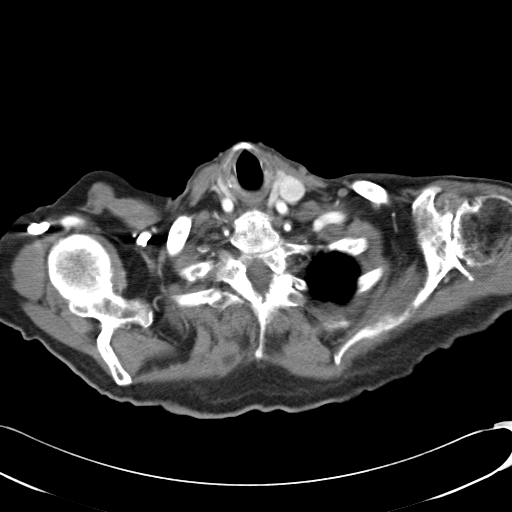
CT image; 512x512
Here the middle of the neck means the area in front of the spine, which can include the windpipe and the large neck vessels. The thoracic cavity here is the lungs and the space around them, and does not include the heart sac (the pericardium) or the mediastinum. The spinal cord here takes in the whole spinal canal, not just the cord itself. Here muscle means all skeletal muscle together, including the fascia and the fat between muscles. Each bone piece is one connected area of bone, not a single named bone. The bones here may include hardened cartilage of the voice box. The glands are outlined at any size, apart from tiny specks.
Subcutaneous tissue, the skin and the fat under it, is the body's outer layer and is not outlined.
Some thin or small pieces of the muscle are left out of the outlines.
{"middle_of_the_neck":[[[243,148],[258,152],[276,171],[266,204],[268,209],[276,204],[281,182],[286,176],[291,175],[305,185],[305,195],[287,214],[266,212],[255,207],[229,215],[222,212],[218,200],[212,194],[212,186],[218,181],[225,197],[232,198],[222,176],[234,153]]],"muscle":[{"outer":[[255,145],[322,180],[363,178],[348,186],[377,205],[389,203],[379,184],[417,188],[453,180],[511,189],[511,198],[471,195],[443,212],[434,205],[439,185],[420,191],[411,215],[426,268],[423,285],[401,313],[387,312],[358,328],[333,353],[336,366],[358,342],[406,321],[454,268],[472,281],[468,268],[495,261],[511,245],[511,294],[421,321],[333,380],[253,362],[217,380],[132,384],[111,339],[128,323],[148,328],[154,311],[116,293],[105,247],[88,233],[73,232],[49,248],[48,279],[71,313],[99,322],[96,347],[111,377],[38,327],[10,283],[12,259],[34,223],[82,206],[96,181],[171,210],[186,201],[197,173],[228,150],[211,194],[224,215],[239,214],[228,238],[231,249],[178,274],[194,282],[214,270],[214,280],[233,291],[211,286],[171,297],[180,307],[222,310],[247,301],[258,325],[257,360],[280,309],[303,308],[306,294],[328,307],[344,306],[383,276],[384,265],[366,271],[356,257],[369,246],[364,236],[315,245],[284,238],[267,212],[287,215],[308,188],[276,170]],"holes":[[[182,214],[187,214],[191,216],[191,226],[189,230],[189,233],[188,234],[188,236],[183,246],[183,248],[177,254],[171,256],[168,254],[167,252],[167,249],[166,248],[166,242],[167,241],[168,232],[174,220],[179,215],[181,215]],[[342,319],[346,319],[347,320],[349,320],[350,321],[350,324],[347,327],[346,327],[345,328],[338,328],[337,329],[327,329],[326,328],[325,328],[322,325],[322,322],[323,322],[324,321],[327,321],[328,320],[341,320]]]}],"bones":[{"outer":[[253,208],[271,216],[288,242],[364,237],[368,243],[355,257],[312,249],[287,258],[308,286],[307,300],[273,316],[261,359],[247,300],[222,309],[180,306],[172,297],[211,287],[234,291],[215,280],[214,269],[194,281],[179,270],[231,250],[234,219]],"hole":[[254,259],[257,259],[258,260],[260,260],[269,269],[269,270],[271,272],[270,274],[270,279],[268,282],[268,284],[267,285],[267,288],[263,292],[260,292],[258,291],[254,287],[252,282],[250,280],[250,279],[247,275],[247,269],[248,268],[248,265]]},[[432,185],[441,188],[433,200],[441,213],[453,211],[471,196],[499,194],[511,199],[510,246],[495,260],[468,267],[472,280],[454,267],[449,270],[406,320],[358,341],[336,365],[334,353],[358,329],[387,313],[401,314],[424,285],[427,268],[412,203]],[[73,233],[88,234],[104,247],[110,257],[112,289],[116,294],[136,299],[153,311],[153,321],[148,327],[128,322],[116,328],[110,339],[122,367],[131,377],[129,385],[114,381],[98,350],[100,322],[71,312],[68,301],[49,279],[50,248],[60,238]],[[182,214],[187,214],[191,216],[191,226],[189,230],[189,233],[188,234],[188,236],[183,246],[183,248],[177,254],[171,256],[168,254],[167,252],[167,249],[166,248],[166,242],[167,241],[168,232],[174,220],[179,215],[181,215]],[[355,179],[365,179],[366,180],[369,180],[372,182],[374,182],[382,186],[386,190],[388,194],[388,203],[381,203],[380,204],[377,204],[374,202],[370,201],[368,199],[365,198],[363,196],[360,195],[358,193],[354,191],[349,186],[349,184],[353,180]],[[379,266],[384,266],[385,267],[385,270],[382,276],[379,279],[379,280],[370,289],[366,291],[364,291],[363,292],[358,293],[357,294],[355,293],[355,291],[356,290],[356,282],[357,281],[357,279],[358,277],[363,273],[367,271],[372,270]],[[240,141],[247,141],[248,142],[250,142],[255,146],[255,147],[257,149],[257,151],[253,149],[248,149],[244,147],[240,148],[236,150],[233,153],[230,159],[226,164],[225,167],[224,167],[224,164],[226,162],[226,159],[229,153],[229,149],[234,144]],[[342,319],[346,319],[347,320],[349,320],[350,321],[350,324],[347,327],[346,327],[345,328],[338,328],[337,329],[327,329],[326,328],[325,328],[322,325],[322,322],[323,322],[324,321],[327,321],[328,320],[341,320]]],"spinal_cord":[[[254,259],[257,259],[258,260],[260,260],[269,269],[269,270],[271,272],[270,274],[270,279],[268,282],[268,284],[267,285],[267,288],[263,292],[260,292],[258,291],[254,287],[252,282],[250,280],[250,279],[247,275],[247,269],[248,268],[248,265]]],"torso":[[[250,139],[325,178],[359,171],[474,176],[454,205],[459,253],[484,303],[502,315],[487,330],[426,356],[403,379],[302,412],[253,409],[202,419],[100,394],[38,340],[13,328],[76,316],[117,277],[97,232],[50,203],[96,169],[176,197],[198,165]]],"thoracic_cavity":[[[310,251],[324,252],[336,251],[351,257],[354,257],[363,264],[363,270],[365,271],[357,277],[355,282],[354,294],[346,304],[332,307],[314,299],[307,293],[309,290],[309,286],[307,282],[302,277],[298,278],[295,276],[294,267],[296,262],[300,256]]],"right_arm":[[[47,204],[49,204],[56,210],[79,218],[83,223],[96,232],[112,262],[115,269],[116,277],[98,298],[95,299],[76,315],[73,315],[69,317],[33,320],[12,328],[0,322],[0,236],[6,231],[11,223],[18,216],[25,212],[31,211],[41,205]]],"left_arm":[[[475,176],[477,176],[478,177],[496,178],[497,179],[501,179],[502,180],[505,180],[506,181],[511,182],[511,310],[505,313],[503,315],[485,303],[485,301],[483,299],[483,296],[481,294],[476,283],[474,281],[460,253],[455,205]]],"thyroid_glands":[[[278,169],[280,169],[287,175],[286,175],[281,180],[280,182],[280,184],[277,191],[277,195],[276,196],[276,201],[275,202],[275,204],[273,206],[273,207],[268,208],[267,207],[268,200],[270,197],[270,194],[273,187],[274,181],[276,179],[276,172]],[[220,177],[221,178],[221,181],[222,182],[222,183],[223,184],[224,184],[224,185],[227,188],[227,189],[230,194],[230,197],[231,198],[228,198],[227,197],[226,197],[226,195],[225,194],[225,193],[223,191],[223,190],[219,183],[219,181],[218,180]]]}